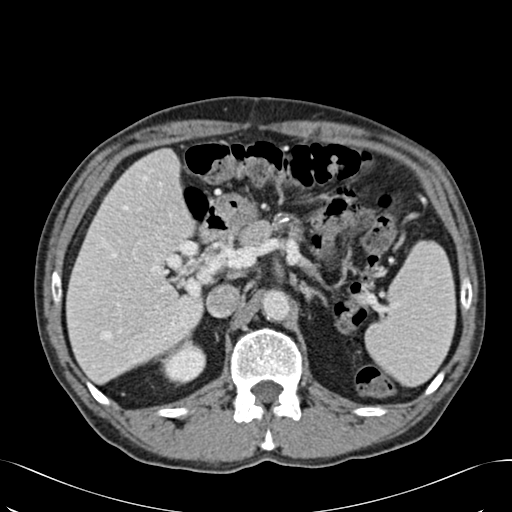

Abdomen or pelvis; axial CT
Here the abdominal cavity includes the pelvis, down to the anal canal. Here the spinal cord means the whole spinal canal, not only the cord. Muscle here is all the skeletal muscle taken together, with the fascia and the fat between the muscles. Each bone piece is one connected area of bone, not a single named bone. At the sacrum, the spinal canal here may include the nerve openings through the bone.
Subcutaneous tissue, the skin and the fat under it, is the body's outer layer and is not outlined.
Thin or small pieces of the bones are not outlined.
{"abdominal_cavity":[[[248,129],[357,144],[397,159],[418,178],[455,245],[461,331],[448,362],[414,399],[364,405],[332,393],[313,379],[296,342],[271,327],[241,335],[215,379],[160,405],[125,408],[88,380],[74,362],[61,317],[64,256],[114,169],[124,158],[148,148]]],"bones":[{"outer":[[261,328],[271,328],[288,335],[301,353],[302,372],[297,391],[301,399],[301,415],[298,420],[287,416],[276,416],[270,411],[261,419],[253,418],[248,422],[237,422],[233,418],[234,407],[232,400],[235,395],[235,386],[230,372],[230,356],[241,336]],"hole":[[263,380],[271,380],[275,383],[276,383],[281,386],[281,390],[280,391],[280,392],[277,395],[277,399],[275,401],[274,401],[271,403],[257,403],[257,402],[256,401],[256,396],[253,393],[253,392],[252,391],[252,387],[260,381],[262,381]]},[[465,276],[466,276],[469,278],[469,280],[470,281],[470,283],[471,284],[471,290],[472,291],[472,297],[471,298],[471,304],[470,305],[469,308],[466,310],[463,309],[463,308],[461,305],[461,302],[460,301],[460,283],[461,282],[461,278],[462,278]],[[54,270],[56,270],[58,272],[58,273],[60,275],[60,276],[61,277],[61,299],[60,300],[60,303],[59,304],[59,305],[56,305],[54,303],[54,302],[53,301],[53,299],[52,298],[52,293],[51,292],[51,276],[52,275],[52,272]],[[377,405],[380,405],[381,406],[386,408],[388,410],[388,411],[387,412],[386,412],[382,415],[373,415],[372,416],[359,416],[358,415],[356,415],[352,412],[352,410],[353,409],[354,409],[355,408],[357,408],[358,407],[362,407],[363,406],[376,406]],[[162,407],[167,407],[168,408],[174,408],[175,407],[186,407],[190,410],[193,410],[193,411],[192,412],[190,412],[186,415],[182,415],[181,416],[175,417],[174,418],[172,417],[165,417],[164,416],[158,415],[155,413],[155,411],[157,409],[161,408]],[[87,380],[89,381],[92,384],[93,384],[94,386],[95,386],[101,392],[102,392],[109,399],[110,401],[110,404],[108,405],[101,404],[94,398],[94,397],[91,394],[90,391],[88,389],[86,385],[86,381]],[[441,370],[443,370],[444,371],[444,377],[443,378],[443,380],[442,381],[442,382],[439,385],[439,386],[432,393],[431,393],[428,395],[424,395],[423,394],[423,393],[426,389],[426,388],[428,386],[428,385],[432,381],[432,380],[436,376],[436,375]],[[267,428],[269,428],[269,429],[270,430],[270,432],[271,433],[271,436],[272,437],[272,439],[276,445],[276,446],[272,450],[264,450],[263,449],[262,449],[259,446],[260,443],[264,439],[264,437],[265,436],[265,433],[266,432],[266,430],[267,429]]],"muscle":[{"outer":[[188,119],[263,125],[288,120],[338,122],[397,139],[425,152],[441,166],[457,197],[470,235],[478,283],[475,330],[471,354],[461,375],[443,398],[414,425],[397,436],[372,445],[330,457],[313,458],[294,458],[273,450],[277,445],[267,427],[258,445],[263,450],[241,460],[208,463],[160,456],[136,445],[106,419],[96,415],[72,388],[49,340],[47,319],[44,316],[45,262],[56,217],[75,182],[99,152],[143,128]],"holes":[[[248,129],[357,144],[397,159],[418,178],[472,291],[432,393],[359,416],[352,410],[364,405],[315,381],[305,354],[298,420],[269,411],[237,422],[228,355],[215,379],[168,403],[131,409],[91,394],[51,292],[52,272],[62,276],[84,214],[124,158]],[[162,407],[167,407],[168,408],[174,408],[175,407],[186,407],[190,410],[193,410],[193,411],[192,412],[190,412],[186,415],[182,415],[181,416],[175,417],[174,418],[172,417],[165,417],[164,416],[158,415],[155,413],[155,411],[157,409],[161,408]]]}],"spinal_cord":[[[263,380],[271,380],[275,383],[276,383],[281,386],[281,390],[280,391],[280,392],[277,395],[277,399],[275,401],[274,401],[271,403],[257,403],[257,402],[256,401],[256,396],[253,393],[253,392],[252,391],[252,387],[260,381],[262,381]]],"torso":[[[227,95],[301,99],[365,115],[427,146],[453,176],[481,245],[485,329],[469,374],[421,439],[375,456],[317,468],[271,461],[230,473],[167,468],[140,462],[102,439],[52,373],[38,335],[33,278],[41,230],[62,186],[98,144],[140,118],[176,104]]]}